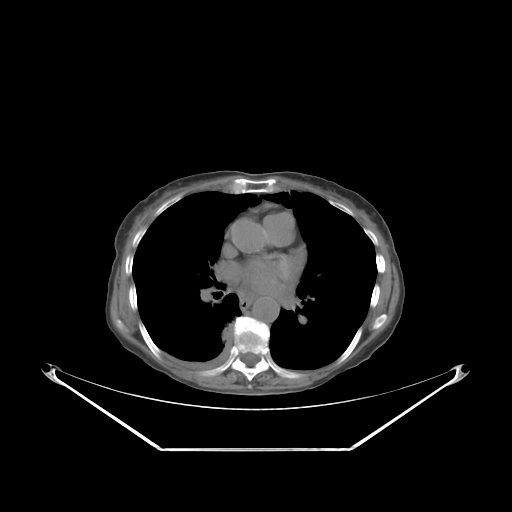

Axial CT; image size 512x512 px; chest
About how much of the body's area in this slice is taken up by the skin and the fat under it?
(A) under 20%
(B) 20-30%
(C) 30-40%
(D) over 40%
Answer: (A) under 20%
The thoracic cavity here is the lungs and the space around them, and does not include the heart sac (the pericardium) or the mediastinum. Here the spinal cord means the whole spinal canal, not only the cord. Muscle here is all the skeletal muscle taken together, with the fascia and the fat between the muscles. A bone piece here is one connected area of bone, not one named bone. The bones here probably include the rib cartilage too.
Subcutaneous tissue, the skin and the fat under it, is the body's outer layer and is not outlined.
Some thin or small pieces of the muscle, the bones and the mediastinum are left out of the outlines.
{"torso":[[[271,169],[297,171],[332,180],[358,192],[378,210],[390,229],[403,272],[405,299],[400,320],[389,339],[369,359],[309,391],[238,396],[192,389],[152,369],[122,347],[105,322],[104,306],[115,255],[115,233],[138,201],[173,179],[215,170],[260,173]]],"thoracic_cavity":[[[202,191],[252,193],[260,200],[240,211],[223,230],[222,243],[214,267],[227,289],[237,296],[240,315],[235,316],[232,323],[233,343],[227,355],[220,364],[205,369],[178,362],[154,342],[138,310],[136,285],[132,275],[136,249],[156,217],[184,197]],[[288,189],[311,192],[353,217],[373,244],[375,252],[374,259],[377,273],[363,321],[345,349],[333,361],[313,369],[283,367],[273,359],[269,347],[270,329],[279,316],[284,301],[295,291],[308,260],[307,245],[293,210],[280,202],[264,198],[267,194]]],"mediastinum":[[[219,256],[218,270],[221,276],[232,286],[249,293],[263,296],[282,296],[291,291],[299,280],[292,294],[283,301],[281,305],[281,310],[270,328],[265,322],[261,320],[249,315],[241,315],[238,296],[228,289],[226,283],[220,278],[216,271],[215,264]],[[253,193],[267,193],[263,196],[263,198],[266,200],[268,200],[264,200],[262,201],[258,205],[254,207],[252,207],[246,211],[244,211],[240,213],[237,216],[237,215],[240,212],[245,210],[248,207],[257,205],[260,202],[261,200],[260,198],[256,196]]],"spinal_cord":[[[248,352],[251,352],[252,353],[253,353],[254,354],[256,354],[257,355],[258,355],[259,356],[259,360],[254,365],[253,365],[252,366],[248,366],[243,361],[242,361],[242,360],[241,359],[241,355],[242,354],[244,354],[245,353],[247,353]]],"bones":[{"outer":[[237,316],[249,316],[265,323],[269,327],[268,347],[272,359],[279,366],[301,373],[302,375],[297,378],[287,378],[269,368],[257,373],[249,381],[241,371],[231,367],[215,375],[202,375],[200,371],[214,368],[228,358],[230,349],[234,343],[233,323]],"hole":[[248,352],[251,352],[252,353],[253,353],[254,354],[256,354],[257,355],[258,355],[259,356],[259,360],[254,365],[253,365],[252,366],[248,366],[243,361],[242,361],[242,360],[241,359],[241,355],[242,354],[244,354],[245,353],[247,353]]},[[236,178],[248,178],[249,179],[253,179],[254,180],[258,180],[259,179],[267,179],[268,178],[274,178],[276,179],[277,184],[282,190],[277,192],[274,192],[273,193],[268,193],[267,192],[244,192],[243,193],[231,193],[228,191],[227,186],[229,183]],[[140,320],[141,320],[142,321],[148,334],[150,336],[150,337],[153,341],[153,342],[161,350],[160,359],[157,358],[153,354],[153,353],[148,347],[147,344],[143,339],[143,338],[141,335],[141,333],[140,332],[139,327],[138,326],[138,323]],[[360,326],[362,327],[362,333],[355,347],[352,350],[352,351],[349,354],[349,355],[343,361],[342,361],[340,363],[335,363],[335,360],[346,349],[346,348],[352,340],[353,337],[355,335],[358,328]],[[179,193],[183,193],[184,196],[182,198],[181,198],[173,204],[172,204],[168,207],[167,207],[157,216],[155,216],[154,215],[154,213],[155,212],[155,211],[164,202],[165,202],[168,199],[171,198],[173,196],[174,196]],[[134,283],[134,284],[135,285],[135,290],[136,291],[136,297],[137,298],[137,310],[136,310],[135,311],[134,310],[133,310],[132,309],[132,308],[131,307],[131,306],[130,305],[130,303],[129,302],[129,288],[130,287],[130,286],[132,284],[133,284]],[[375,283],[377,283],[379,285],[379,297],[378,298],[378,300],[377,301],[377,303],[376,305],[372,308],[371,307],[369,307],[369,306],[370,305],[370,300],[371,299],[371,295],[372,294],[372,291],[373,290],[373,288],[374,287],[374,285]],[[144,226],[147,226],[148,227],[147,228],[146,231],[142,236],[142,237],[141,238],[139,243],[137,245],[136,248],[135,248],[134,247],[133,247],[133,246],[132,245],[132,242],[133,241],[133,238],[134,237],[135,234],[142,227],[143,227]],[[377,253],[378,253],[379,254],[381,254],[383,256],[383,257],[384,258],[384,261],[385,262],[385,269],[384,270],[384,271],[382,273],[379,273],[377,271],[377,266],[376,265],[376,260],[375,259],[375,257],[376,256],[376,254]],[[329,199],[331,199],[334,201],[336,201],[337,202],[339,202],[340,203],[345,205],[347,207],[348,207],[354,213],[354,216],[352,216],[351,215],[348,214],[346,212],[345,212],[344,211],[339,209],[337,207],[332,205],[328,201],[328,200]],[[129,254],[133,254],[133,261],[132,262],[132,272],[131,273],[131,274],[130,275],[127,275],[126,274],[126,273],[125,272],[125,262],[126,261],[126,257],[127,256],[127,255],[128,255]],[[384,313],[385,313],[387,315],[387,317],[386,318],[385,321],[382,324],[382,325],[380,327],[379,327],[376,329],[374,329],[373,328],[372,328],[372,326],[373,325],[373,323],[374,322],[375,319],[378,316],[379,316],[381,314],[383,314]],[[363,227],[366,227],[368,229],[369,229],[370,230],[371,230],[374,233],[374,234],[376,236],[376,237],[377,238],[377,241],[378,242],[378,244],[377,245],[374,245],[374,244],[372,242],[372,241],[370,239],[370,238],[365,233],[365,232],[363,230]]],"pericardium":[[[264,201],[276,203],[284,208],[288,208],[291,210],[295,217],[300,234],[307,249],[307,260],[299,276],[299,279],[291,290],[282,295],[263,295],[246,291],[229,283],[222,276],[219,270],[220,252],[224,241],[224,234],[226,228],[240,214],[258,206]]],"muscle":[{"outer":[[232,175],[245,177],[234,178],[227,184],[227,191],[202,190],[185,196],[179,192],[168,198],[154,211],[155,218],[151,223],[142,226],[134,234],[131,245],[135,252],[127,254],[124,262],[125,274],[131,275],[133,279],[128,288],[129,305],[133,311],[138,311],[140,319],[137,326],[140,335],[157,359],[161,359],[163,351],[180,364],[203,369],[199,371],[202,376],[215,376],[231,368],[241,372],[250,382],[257,374],[271,369],[283,378],[297,379],[303,374],[293,370],[313,370],[334,361],[340,364],[358,344],[363,333],[361,325],[369,308],[374,308],[378,303],[380,285],[376,278],[378,273],[385,271],[386,262],[384,256],[375,251],[375,246],[379,244],[375,233],[366,226],[362,227],[348,206],[331,198],[327,200],[311,191],[291,188],[283,190],[276,178],[268,177],[282,176],[322,189],[348,203],[376,225],[395,263],[399,298],[394,315],[382,332],[342,366],[309,385],[268,390],[201,386],[177,376],[157,363],[128,341],[111,320],[110,304],[116,271],[128,235],[140,220],[162,200],[178,191]],"holes":[[[384,313],[385,313],[387,315],[387,317],[386,318],[385,321],[382,324],[382,325],[380,327],[379,327],[376,329],[374,329],[373,328],[372,328],[372,326],[373,325],[373,323],[374,322],[375,319],[378,316],[379,316],[381,314],[383,314]],[[118,319],[119,319],[122,322],[122,323],[123,324],[123,327],[122,328],[122,329],[120,329],[119,328],[118,328],[118,327],[117,326],[117,325],[116,324],[116,320],[117,320]]]}]}